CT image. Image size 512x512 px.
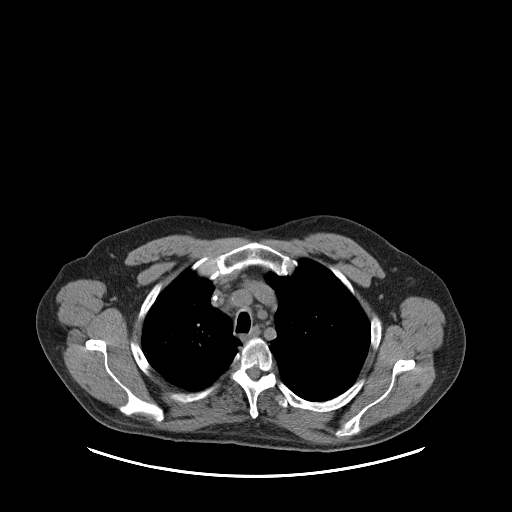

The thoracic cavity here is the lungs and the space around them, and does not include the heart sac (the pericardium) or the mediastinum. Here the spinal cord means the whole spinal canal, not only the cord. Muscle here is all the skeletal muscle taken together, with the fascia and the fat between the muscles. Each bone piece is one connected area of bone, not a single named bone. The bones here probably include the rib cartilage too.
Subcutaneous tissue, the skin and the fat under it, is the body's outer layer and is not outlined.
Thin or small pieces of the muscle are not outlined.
Outlines:
bones 1: 254,337 261,338 268,345 277,376 305,400 326,401 346,391 358,379 364,378 365,381 346,404 323,412 291,405 283,407 275,399 278,389 275,386 267,388 258,394 258,415 252,418 245,391 226,373 238,348, around a hole outlined by 255,366 256,367 257,367 259,369 259,370 261,372 261,374 260,375 260,376 257,379 252,379 248,375 248,374 247,373 247,369 249,369 250,368 251,368 252,367 254,367
bones 2: 251,241 257,241 267,245 288,256 291,259 296,260 298,264 290,275 278,275 261,265 249,265 241,269 234,270 230,273 219,275 213,280 210,280 208,278 199,276 190,268 192,264 204,256 213,257 223,254
bones 3: 90,338 105,341 107,361 110,370 138,398 150,403 155,403 162,408 164,412 164,418 162,420 156,421 150,415 139,412 127,415 119,409 120,406 127,402 127,393 107,372 103,353 99,350 86,349 85,342
bones 4: 399,359 413,359 415,361 414,367 412,369 399,372 395,376 394,383 388,394 380,401 370,406 363,413 359,422 359,432 352,435 335,435 334,432 344,422 357,414 366,405 377,399 388,388 391,381 393,366
bones 5: 212,385 216,385 217,386 215,390 210,395 204,398 202,398 199,400 183,403 182,402 178,402 172,399 169,396 169,392 171,392 172,391 173,392 197,392 198,391 201,391
bones 6: 161,280 163,280 164,281 163,283 163,288 160,291 160,292 156,297 154,302 148,310 142,322 141,321 139,321 138,319 138,314 141,308 141,305 143,301 145,299 146,296 148,294 151,288 157,282
bones 7: 133,339 134,339 135,341 140,345 140,347 143,352 144,356 146,358 147,361 153,369 153,370 152,370 150,372 150,375 147,375 145,374 140,369 132,354 132,352 131,351 131,348 130,347 130,342 131,340
bones 8: 373,313 375,313 379,317 380,321 381,322 381,325 382,326 382,329 381,330 381,337 380,338 380,341 379,342 379,344 376,350 374,350 370,346 370,340 371,339 371,328 370,327 370,320 371,319 371,317
bones 9: 328,264 330,264 331,265 334,266 336,268 337,268 348,279 348,280 351,283 351,284 353,286 353,288 354,289 354,291 355,292 355,296 353,294 352,294 351,293 351,292 348,289 348,288 326,266
thoracic cavity 1: 302,258 311,259 326,267 356,298 369,320 369,349 357,379 340,394 321,401 305,399 283,382 278,376 269,347 277,336 274,314 278,308 278,296 267,283 265,275 271,271 278,276 290,276 298,266 298,260
thoracic cavity 2: 187,268 195,272 199,277 208,279 212,282 213,291 210,303 214,308 229,318 232,334 242,344 237,348 238,349 230,363 229,369 211,385 197,391 185,391 164,379 152,367 141,347 142,324 149,310 161,291
spinal cord: 255,366 256,367 257,367 259,369 259,370 261,372 261,374 260,375 260,376 257,379 252,379 248,375 248,374 247,373 247,369 249,369 250,368 251,368 252,367 254,367
torso: 175,214 203,216 251,229 329,214 349,218 372,229 430,268 446,284 466,337 465,354 455,381 409,430 377,444 333,452 172,441 121,432 101,424 76,400 44,354 35,325 38,303 61,267 85,255 103,237
mediastinum: 249,266 261,266 269,271 264,275 264,279 274,290 277,296 277,308 273,314 276,336 268,344 259,336 254,336 242,343 233,334 232,322 230,318 222,311 214,307 211,303 214,291 212,281 219,276 227,275
muscle: 314,232 351,238 377,260 395,287 429,298 442,310 444,335 434,352 435,379 408,409 337,444 313,444 257,419 259,394 275,387 274,399 283,408 323,413 346,405 366,381 358,377 370,347 378,349 383,329 375,312 368,318 354,286 337,267 291,258 257,240 204,255 164,287 163,279 157,281 137,314 142,323 140,344 134,338 129,342 145,375 154,370 184,391 169,391 172,400 185,404 204,399 216,390 212,384 227,374 244,391 251,419 186,432 157,429 96,399 68,372 55,310 56,295 68,282 102,279 114,273 131,250 172,234 257,240 301,239; inner edges: 90,338 105,341 107,361 110,370 138,398 150,403 155,403 162,408 164,412 164,418 162,420 156,421 150,415 139,412 127,415 119,409 120,406 127,402 127,393 107,372 103,353 99,350 86,349 85,342, then 399,359 413,359 415,361 414,367 412,369 399,372 395,376 394,383 388,394 380,401 370,406 363,413 359,422 359,432 352,435 335,435 334,432 344,422 357,414 366,405 377,399 388,388 391,381 393,366